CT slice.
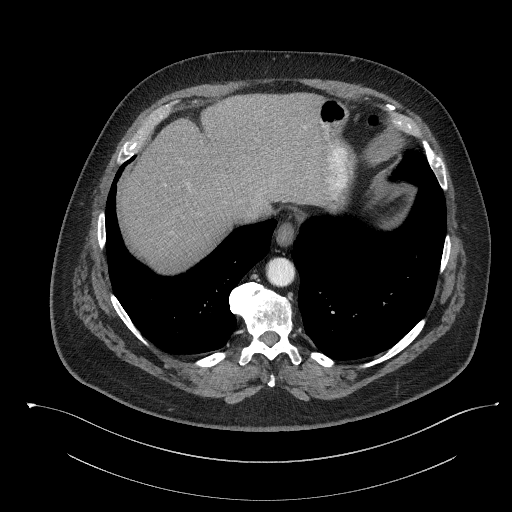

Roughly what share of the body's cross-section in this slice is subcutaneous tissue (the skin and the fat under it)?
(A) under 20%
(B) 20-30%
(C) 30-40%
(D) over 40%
Answer: (B) 20-30%
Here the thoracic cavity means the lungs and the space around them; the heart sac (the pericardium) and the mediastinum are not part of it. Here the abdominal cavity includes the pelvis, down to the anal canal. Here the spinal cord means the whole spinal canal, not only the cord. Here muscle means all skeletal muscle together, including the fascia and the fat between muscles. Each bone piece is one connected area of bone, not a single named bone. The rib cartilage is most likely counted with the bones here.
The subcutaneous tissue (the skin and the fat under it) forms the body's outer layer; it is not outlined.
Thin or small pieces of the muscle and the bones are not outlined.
The spinal cord is outlined by [[269,346],[271,346],[273,344],[274,344],[278,340],[278,336],[277,335],[277,334],[275,332],[273,332],[272,331],[267,331],[266,332],[265,332],[261,336],[261,339],[267,345],[268,345]]. The mediastinum is outlined by [[296,320],[299,316],[296,305],[297,291],[299,286],[299,274],[293,263],[290,252],[298,232],[300,222],[299,219],[291,212],[282,211],[277,215],[277,225],[272,234],[268,253],[249,270],[242,278],[240,283],[253,280],[285,295],[293,304],[294,316]]. The abdominal cavity is outlined by [[168,276],[189,269],[236,227],[276,219],[282,210],[301,223],[325,214],[393,231],[407,217],[417,188],[389,177],[403,152],[419,144],[394,127],[381,108],[297,82],[256,85],[173,112],[154,127],[145,148],[126,166],[116,192],[127,249],[154,272]]. The bones appear in 9 outlined pieces: piece 1: [[240,365],[249,362],[255,353],[261,353],[272,360],[279,353],[284,352],[296,365],[302,360],[298,348],[288,338],[294,326],[292,304],[285,296],[253,281],[239,284],[232,289],[229,296],[231,311],[242,318],[252,337],[249,343],[240,350],[238,358]], around a hole outlined by [[269,346],[271,346],[273,344],[274,344],[278,340],[278,336],[277,335],[277,334],[275,332],[273,332],[272,331],[267,331],[266,332],[265,332],[261,336],[261,339],[267,345],[268,345]]; piece 2: [[443,191],[447,189],[445,164],[443,159],[432,149],[429,143],[422,137],[422,132],[417,123],[405,114],[398,112],[395,109],[396,107],[392,104],[386,103],[380,106],[389,114],[389,120],[394,126],[421,140],[421,144],[430,167],[435,174],[439,185]]; piece 3: [[119,165],[121,165],[125,161],[129,159],[135,154],[153,127],[160,121],[167,117],[173,111],[174,106],[177,104],[180,100],[176,99],[167,102],[159,106],[152,111],[143,120],[141,125],[137,129],[134,134],[127,140],[121,147],[116,158],[116,162]]; piece 4: [[359,368],[366,368],[367,367],[372,366],[375,364],[380,363],[392,357],[401,351],[406,346],[407,346],[421,331],[422,328],[426,322],[426,319],[423,317],[392,347],[388,349],[380,356],[374,359],[372,359],[367,362],[365,362],[358,365],[358,367]]; piece 5: [[147,346],[149,345],[149,343],[147,340],[146,340],[142,336],[140,332],[135,327],[131,321],[129,316],[118,301],[117,298],[114,295],[114,294],[111,292],[110,293],[110,299],[116,312],[123,321],[123,322],[132,332],[132,333],[139,340],[140,340]]; piece 6: [[201,367],[209,367],[216,364],[226,357],[227,355],[227,351],[225,350],[223,350],[222,351],[216,351],[215,352],[213,352],[211,354],[209,354],[208,355],[206,355],[205,356],[203,356],[200,358],[196,359],[194,361],[194,364],[197,366],[200,366]]; piece 7: [[102,250],[103,249],[104,249],[104,247],[105,246],[105,214],[104,213],[104,210],[101,210],[99,212],[99,214],[98,215],[98,218],[97,219],[97,238],[98,239],[98,242],[99,243],[99,247]]; piece 8: [[439,273],[441,273],[443,271],[447,263],[449,257],[449,254],[450,253],[451,242],[450,241],[450,236],[448,233],[447,233],[445,236],[445,240],[443,246],[443,251],[442,252],[442,256],[440,262],[440,267],[439,268]]; piece 9: [[326,367],[331,367],[334,364],[335,361],[331,358],[326,356],[324,354],[323,354],[318,351],[316,351],[315,350],[312,350],[311,351],[310,351],[310,352],[309,353],[309,357],[310,358],[315,360],[321,365],[322,365],[323,366],[325,366]]. The muscle appears in 2 outlined pieces: piece 1: [[229,404],[239,402],[243,399],[255,394],[262,388],[266,389],[270,388],[266,383],[271,372],[275,375],[276,379],[276,385],[274,387],[283,388],[295,397],[305,401],[308,401],[313,398],[334,399],[345,396],[375,379],[394,371],[415,358],[450,328],[457,313],[463,305],[465,300],[464,297],[465,296],[464,280],[466,275],[465,271],[466,255],[463,247],[462,239],[458,229],[457,206],[455,201],[454,188],[443,152],[428,125],[421,117],[392,97],[375,89],[366,87],[360,84],[349,83],[339,80],[321,79],[320,78],[264,77],[253,79],[248,78],[246,79],[237,79],[214,83],[203,83],[173,91],[156,100],[140,112],[118,142],[104,171],[104,173],[100,179],[98,187],[95,190],[95,195],[92,203],[92,210],[91,211],[92,217],[90,227],[88,231],[88,234],[85,238],[85,243],[80,254],[78,264],[74,269],[74,273],[72,278],[72,287],[71,288],[72,306],[74,312],[83,322],[83,324],[93,334],[98,337],[108,348],[124,361],[126,361],[187,392],[204,397],[222,398],[226,403]] with a hole at [[359,368],[392,357],[421,331],[450,253],[446,167],[417,123],[389,103],[378,107],[279,81],[199,107],[174,112],[176,99],[152,111],[121,147],[97,219],[110,299],[127,327],[145,345],[170,354],[211,352],[194,361],[209,367],[226,357],[217,350],[229,342],[240,316],[252,337],[240,350],[240,365],[255,353],[272,360],[281,352],[296,365],[302,357],[288,338],[294,316],[317,349],[309,357],[323,366],[380,354]]; piece 2: [[136,153],[137,153],[139,151],[142,150],[144,148],[144,147],[146,145],[146,144],[149,140],[149,138],[151,135],[151,133],[152,132],[152,130],[152,131],[151,132],[150,132],[150,133],[148,135],[148,136],[142,144],[142,146],[140,148],[140,149]]. The torso is outlined by [[246,432],[308,430],[375,416],[444,386],[474,353],[491,262],[490,228],[480,187],[463,139],[444,105],[421,83],[383,63],[345,53],[271,49],[213,51],[170,63],[138,82],[114,108],[68,202],[49,290],[53,342],[66,369],[84,385],[146,414]]. The thoracic cavity appears in 2 outlined pieces: piece 1: [[335,360],[356,360],[383,353],[424,315],[431,301],[446,233],[446,210],[443,192],[421,146],[406,150],[390,177],[418,188],[408,217],[393,232],[377,232],[348,217],[325,215],[310,218],[300,226],[291,252],[300,274],[297,321],[317,350]]; piece 2: [[170,354],[211,352],[229,342],[238,321],[229,309],[229,293],[267,253],[276,220],[273,218],[238,227],[186,272],[171,277],[160,276],[129,253],[117,225],[116,184],[134,155],[119,167],[108,194],[105,208],[108,270],[113,292],[136,327],[148,341]].